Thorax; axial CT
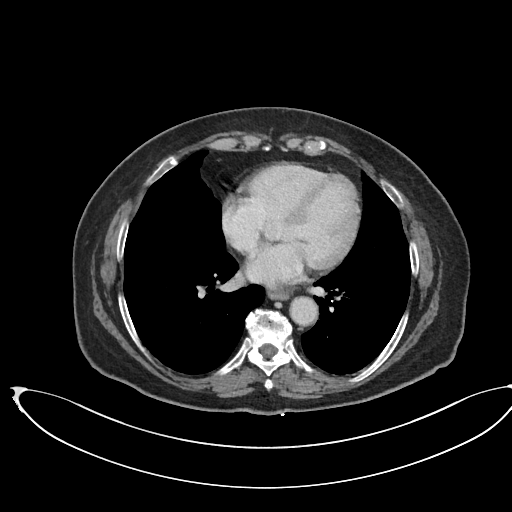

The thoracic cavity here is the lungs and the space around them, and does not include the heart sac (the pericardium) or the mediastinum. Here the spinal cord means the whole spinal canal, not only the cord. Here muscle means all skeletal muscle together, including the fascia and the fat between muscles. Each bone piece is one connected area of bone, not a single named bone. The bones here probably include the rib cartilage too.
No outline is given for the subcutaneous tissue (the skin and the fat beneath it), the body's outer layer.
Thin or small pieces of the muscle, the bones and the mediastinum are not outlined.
{"bones":[{"outer":[[256,308],[278,311],[287,318],[292,326],[291,336],[297,352],[315,369],[315,372],[309,373],[292,362],[280,365],[269,376],[273,383],[270,390],[264,386],[266,374],[247,359],[239,367],[223,375],[213,375],[213,372],[238,350],[247,334],[245,318]],"hole":[[264,344],[270,344],[271,345],[272,345],[273,346],[274,346],[276,348],[276,352],[270,358],[269,358],[268,359],[266,359],[263,356],[263,355],[260,352],[260,348]]},[[406,309],[409,311],[409,315],[408,316],[408,320],[406,326],[397,345],[389,356],[381,365],[380,365],[368,376],[356,382],[350,382],[348,381],[348,379],[350,377],[354,376],[361,369],[369,365],[381,352],[394,333],[398,325],[398,323],[404,311]],[[244,135],[256,136],[262,140],[263,144],[267,143],[270,144],[272,147],[267,151],[262,149],[259,146],[258,147],[251,147],[248,150],[245,150],[244,148],[239,145],[233,150],[218,150],[212,149],[208,146],[209,143],[219,138],[226,137],[240,138]],[[118,292],[122,292],[123,293],[127,305],[127,308],[131,320],[133,323],[133,325],[142,344],[148,350],[151,357],[151,360],[147,358],[137,347],[135,343],[132,340],[125,327],[122,317],[120,314],[120,311],[117,302],[117,294]],[[290,138],[301,138],[304,141],[307,140],[323,140],[326,143],[326,148],[324,150],[320,151],[318,154],[315,155],[309,155],[306,154],[301,150],[299,150],[296,148],[295,149],[289,149],[286,151],[284,151],[280,148],[282,147],[285,144],[285,142]],[[170,155],[175,155],[177,156],[178,157],[178,163],[175,166],[167,171],[161,177],[156,180],[152,184],[151,184],[149,186],[146,185],[145,184],[145,181],[146,179],[153,172],[153,171],[157,168],[162,160]],[[124,217],[127,217],[129,221],[129,226],[128,227],[127,235],[125,240],[125,245],[124,246],[124,250],[123,251],[123,259],[122,261],[118,261],[116,256],[116,244],[117,243],[117,236],[118,235],[118,230],[119,229],[119,225],[120,224],[120,222]],[[380,178],[383,178],[387,180],[390,183],[391,183],[398,190],[398,191],[401,194],[402,196],[402,198],[403,199],[403,201],[404,202],[404,205],[402,208],[399,209],[383,191],[383,190],[379,185],[379,183],[378,182]],[[411,239],[413,239],[416,243],[416,245],[417,246],[417,249],[418,250],[418,256],[419,257],[419,268],[418,269],[418,272],[417,273],[417,276],[416,277],[414,277],[411,275],[411,267],[410,266],[410,258],[409,257],[409,240],[410,240]]],"pericardium":[[[268,161],[324,163],[351,172],[360,184],[362,194],[362,212],[355,241],[339,265],[325,275],[315,280],[311,284],[277,288],[264,287],[255,281],[251,281],[243,273],[240,269],[240,263],[226,245],[222,228],[221,206],[224,199],[236,177],[248,167]]],"spinal_cord":[[[264,344],[270,344],[271,345],[272,345],[273,346],[274,346],[276,348],[276,352],[270,358],[269,358],[268,359],[266,359],[263,356],[263,355],[260,352],[260,348]]],"torso":[[[256,105],[309,109],[364,128],[409,156],[445,196],[462,227],[470,257],[463,334],[453,359],[446,366],[364,402],[263,415],[247,411],[204,411],[167,403],[107,377],[90,365],[76,336],[71,274],[74,234],[89,198],[123,158],[155,134],[200,115]]],"mediastinum":[[[279,148],[284,152],[290,151],[307,156],[332,153],[347,158],[363,170],[362,187],[359,180],[351,171],[324,162],[268,160],[248,166],[236,176],[221,205],[220,201],[202,179],[200,174],[200,168],[208,150],[224,152],[267,152],[271,149]],[[312,284],[312,296],[318,305],[318,311],[319,312],[318,313],[318,319],[308,330],[303,332],[299,337],[294,337],[292,335],[293,334],[293,326],[288,318],[280,311],[269,308],[259,307],[265,299],[265,288],[270,289],[291,288],[298,286],[306,286]],[[240,270],[242,272],[242,273],[252,283],[256,283],[257,284],[259,284],[262,286],[261,286],[258,284],[253,284],[252,283],[246,283],[242,277],[242,275],[240,272]]],"thoracic_cavity":[[[202,149],[208,151],[202,159],[199,174],[220,203],[221,228],[225,249],[238,263],[239,272],[244,282],[264,288],[264,299],[244,318],[243,335],[232,356],[212,371],[193,375],[166,366],[143,344],[123,292],[123,260],[130,222],[148,188],[179,162]],[[364,172],[378,184],[398,209],[408,242],[410,267],[409,293],[405,309],[393,333],[375,358],[358,371],[335,374],[324,371],[310,363],[303,354],[299,344],[299,338],[319,319],[319,305],[313,296],[314,282],[339,266],[356,241],[363,212],[362,188]]],"muscle":[[[224,131],[258,131],[274,135],[291,132],[330,138],[361,156],[388,178],[414,202],[431,227],[443,263],[437,315],[398,361],[368,382],[321,397],[295,399],[269,391],[274,386],[270,376],[280,366],[292,363],[309,374],[316,372],[313,366],[335,375],[357,372],[347,379],[356,383],[373,373],[394,351],[409,320],[410,311],[406,306],[411,276],[416,278],[420,268],[417,243],[413,238],[408,241],[399,211],[405,205],[402,194],[383,177],[377,183],[347,157],[332,152],[319,154],[327,148],[323,139],[290,137],[282,146],[272,148],[270,143],[263,143],[260,137],[253,134],[226,136],[209,142],[207,146],[211,149],[196,150],[180,161],[175,154],[162,159],[209,135]],[[161,160],[145,179],[148,187],[132,218],[124,216],[118,225],[115,256],[123,263],[123,277],[116,302],[124,327],[150,361],[151,354],[179,373],[223,376],[247,360],[265,374],[265,389],[219,397],[170,384],[130,356],[93,313],[93,251],[118,206]],[[294,338],[298,338],[298,344],[299,345],[299,347],[300,348],[300,349],[302,352],[302,354],[304,356],[304,357],[309,362],[309,363],[308,363],[300,355],[300,354],[298,352],[298,351],[297,350],[297,349],[295,346],[295,340],[294,339]]]}